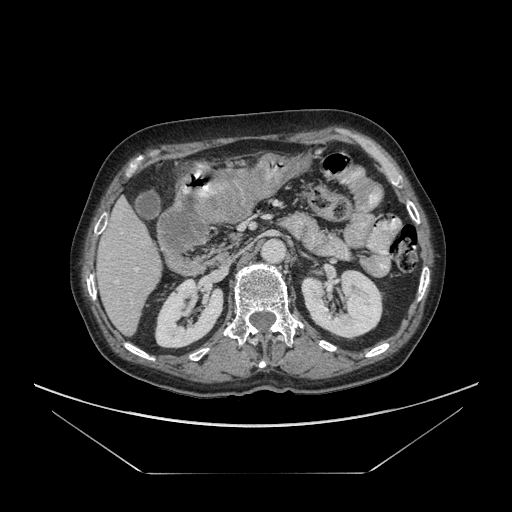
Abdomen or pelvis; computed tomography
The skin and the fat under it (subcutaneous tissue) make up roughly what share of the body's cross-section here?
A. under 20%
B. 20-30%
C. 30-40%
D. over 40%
Answer: A. under 20%
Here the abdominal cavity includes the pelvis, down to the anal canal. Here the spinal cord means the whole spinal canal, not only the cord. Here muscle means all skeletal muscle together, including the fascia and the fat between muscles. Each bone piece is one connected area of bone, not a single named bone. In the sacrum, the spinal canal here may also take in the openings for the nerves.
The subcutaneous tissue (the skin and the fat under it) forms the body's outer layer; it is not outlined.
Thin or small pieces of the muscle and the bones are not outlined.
{"torso":[[[303,108],[344,109],[381,125],[403,149],[439,216],[446,245],[443,289],[427,329],[407,360],[388,376],[322,394],[261,390],[213,398],[159,388],[115,367],[94,345],[69,281],[69,251],[74,231],[105,157],[134,131],[160,122]]],"bones":[{"outer":[[255,262],[274,266],[281,273],[287,286],[289,311],[304,325],[302,329],[296,329],[290,346],[279,339],[269,339],[265,349],[260,342],[253,345],[246,341],[242,346],[239,346],[235,338],[225,336],[222,333],[236,313],[233,290],[235,273],[249,263]],"hole":[[263,311],[266,311],[267,312],[270,312],[272,313],[275,316],[275,320],[273,322],[273,323],[268,328],[266,332],[264,333],[261,333],[260,331],[250,322],[250,320],[249,319],[250,318],[250,316],[252,314],[256,312],[262,312]]},[[336,128],[346,129],[352,133],[359,135],[364,138],[369,139],[372,142],[373,142],[393,164],[395,168],[402,176],[403,178],[403,186],[401,188],[398,188],[394,186],[389,181],[388,178],[384,173],[380,164],[353,139],[337,131],[336,130]],[[425,265],[426,265],[429,269],[429,283],[426,289],[426,291],[425,292],[425,294],[424,296],[420,301],[417,301],[416,298],[418,295],[418,293],[417,291],[418,290],[418,286],[419,285],[420,274],[421,273],[421,270],[422,269],[422,267]],[[124,341],[127,341],[128,342],[130,342],[132,344],[135,345],[140,349],[145,351],[150,355],[152,355],[153,356],[154,356],[155,357],[155,361],[148,360],[143,357],[141,357],[138,355],[136,355],[132,352],[129,351],[123,345],[123,342]],[[407,198],[408,198],[414,204],[414,205],[416,207],[419,213],[419,215],[420,216],[420,220],[421,221],[420,223],[417,225],[415,224],[415,223],[410,217],[408,213],[408,211],[406,208],[406,206],[404,203],[405,202],[405,200]],[[90,273],[94,273],[94,279],[95,280],[95,286],[96,287],[96,289],[97,290],[97,298],[95,301],[93,301],[91,299],[91,298],[90,297],[90,296],[88,293],[88,290],[87,289],[87,282],[86,281],[86,278],[89,275],[89,274]],[[140,154],[142,154],[143,155],[144,155],[144,159],[138,165],[137,168],[135,170],[135,171],[132,174],[132,175],[129,178],[126,178],[124,175],[124,173],[125,172],[126,169],[128,167],[128,166],[129,165],[129,163],[134,158],[135,158]],[[104,211],[106,211],[108,212],[108,216],[107,217],[107,223],[105,225],[105,227],[103,229],[101,233],[100,233],[98,235],[95,235],[93,231],[94,229],[94,226],[97,220],[99,218],[100,215],[102,213],[102,212]],[[383,341],[387,341],[389,343],[389,346],[387,348],[387,349],[386,350],[385,350],[383,352],[382,352],[375,356],[372,356],[371,357],[365,357],[365,356],[364,355],[365,354],[365,353],[366,353],[371,348],[372,348],[374,346],[381,343]],[[202,347],[209,347],[210,348],[210,349],[207,352],[207,353],[202,358],[201,358],[199,360],[191,360],[188,358],[188,354],[189,353],[190,353],[191,352],[192,352],[193,351],[194,351],[195,350],[196,350],[199,348],[201,348]],[[321,339],[323,339],[324,340],[326,340],[327,341],[328,341],[329,342],[330,342],[331,343],[336,345],[337,346],[337,349],[335,351],[329,351],[328,350],[326,350],[325,349],[322,348],[320,346],[319,346],[319,345],[318,344],[318,340],[320,340]]],"muscle":[{"outer":[[331,125],[339,125],[340,126],[344,126],[356,129],[375,139],[390,154],[403,170],[404,173],[408,178],[417,197],[417,199],[426,215],[431,232],[431,241],[434,252],[433,275],[421,321],[417,329],[407,342],[389,357],[386,357],[379,361],[363,366],[347,373],[344,373],[337,376],[333,376],[329,378],[324,378],[323,379],[301,379],[281,374],[275,371],[260,371],[247,378],[238,379],[233,381],[218,382],[217,383],[202,383],[201,382],[196,382],[188,380],[175,375],[172,375],[160,371],[157,369],[154,369],[137,363],[130,362],[121,358],[114,352],[111,349],[104,337],[98,325],[98,323],[92,314],[88,303],[86,301],[86,299],[83,294],[83,289],[81,284],[81,269],[82,268],[82,258],[83,257],[84,243],[89,225],[100,202],[100,200],[107,187],[116,173],[122,166],[133,155],[143,148],[149,147],[156,144],[192,142],[193,141],[201,141],[213,138],[234,137],[235,136],[244,136],[245,135],[265,135],[266,134],[275,134],[276,133],[296,133],[301,131],[308,131],[309,130],[320,129]],"holes":[[[336,128],[377,146],[403,178],[401,188],[393,187],[398,199],[404,203],[408,198],[420,216],[415,228],[421,266],[429,269],[429,283],[420,301],[415,294],[396,331],[375,344],[387,341],[387,349],[365,357],[372,346],[358,351],[322,348],[318,344],[321,334],[297,309],[295,292],[288,286],[289,311],[304,325],[296,329],[290,346],[279,339],[269,339],[265,349],[260,342],[246,341],[239,346],[235,338],[223,335],[236,313],[232,290],[225,318],[199,347],[210,348],[199,360],[189,359],[187,353],[149,352],[155,357],[152,361],[129,351],[99,299],[91,299],[86,278],[95,272],[102,234],[95,235],[94,226],[132,178],[156,162],[242,140],[340,141],[365,152]],[[140,154],[142,154],[143,155],[144,155],[144,159],[138,165],[137,168],[135,170],[135,171],[132,174],[132,175],[129,178],[126,178],[124,175],[124,173],[125,172],[126,169],[128,167],[128,166],[129,165],[129,163],[134,158],[135,158]],[[262,359],[265,359],[266,360],[267,360],[267,361],[268,362],[268,363],[267,364],[267,365],[265,367],[264,367],[263,368],[261,368],[260,367],[259,367],[258,366],[258,364],[259,363],[259,362]]]}],"abdominal_cavity":[[[242,140],[340,141],[362,150],[379,166],[415,225],[421,259],[414,299],[395,332],[358,351],[324,339],[297,309],[295,292],[278,268],[261,261],[249,262],[234,273],[223,322],[188,353],[146,351],[112,326],[98,298],[95,255],[118,195],[151,164]]],"spinal_cord":[[[263,311],[266,311],[267,312],[270,312],[272,313],[275,316],[275,320],[273,322],[273,323],[268,328],[266,332],[264,333],[261,333],[260,331],[250,322],[250,320],[249,319],[250,318],[250,316],[252,314],[256,312],[262,312]]]}